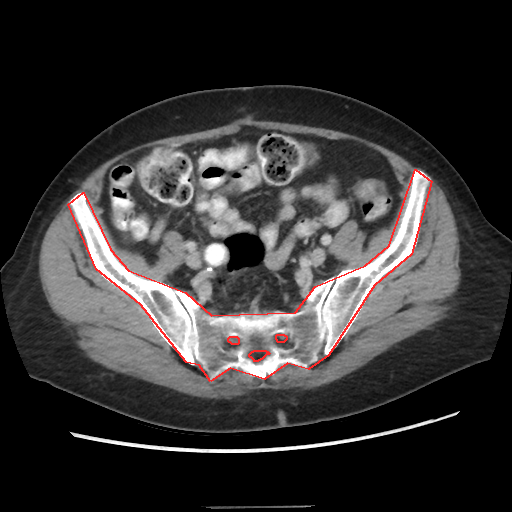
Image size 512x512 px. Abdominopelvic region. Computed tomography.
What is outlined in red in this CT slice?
red: bones.
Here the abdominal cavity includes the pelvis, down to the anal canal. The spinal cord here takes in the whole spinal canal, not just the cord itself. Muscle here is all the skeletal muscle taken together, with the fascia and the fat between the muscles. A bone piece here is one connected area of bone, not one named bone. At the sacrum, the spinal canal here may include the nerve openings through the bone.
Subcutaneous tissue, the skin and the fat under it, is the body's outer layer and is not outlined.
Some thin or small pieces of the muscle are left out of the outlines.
{"bones":[{"outer":[[415,169],[431,181],[411,254],[374,285],[328,355],[308,369],[287,363],[264,379],[230,368],[210,381],[199,365],[186,362],[140,304],[96,269],[68,204],[83,192],[110,249],[128,270],[185,292],[211,315],[295,312],[315,286],[365,265],[389,245]],"holes":[[[254,350],[265,350],[266,351],[267,351],[269,353],[268,353],[267,354],[266,354],[261,359],[260,359],[259,360],[258,360],[257,361],[254,361],[254,360],[251,357],[250,357],[249,356],[249,354],[252,351],[253,351]],[[230,336],[236,336],[238,338],[238,343],[237,344],[232,344],[230,342],[229,342],[228,341],[228,338]],[[277,334],[283,334],[284,335],[285,335],[286,336],[286,339],[283,342],[278,342],[277,341],[277,340],[276,339],[276,335]]]}],"torso":[[[266,84],[317,87],[371,104],[420,133],[457,170],[484,216],[511,239],[507,303],[490,358],[361,413],[308,425],[237,433],[183,431],[154,425],[32,378],[12,335],[4,303],[0,268],[14,251],[35,205],[56,174],[90,139],[135,110],[197,90]]],"muscle":[[[241,118],[352,134],[422,169],[411,172],[388,245],[365,264],[337,272],[340,262],[329,248],[338,230],[354,220],[365,233],[365,247],[391,223],[400,204],[403,186],[380,151],[349,138],[249,124],[217,138],[137,150],[107,168],[98,204],[116,243],[150,264],[166,232],[183,236],[185,256],[168,277],[172,286],[128,269],[111,249],[86,194],[75,193],[67,204],[93,266],[139,304],[186,363],[199,366],[210,382],[230,369],[264,380],[287,364],[308,370],[328,356],[375,285],[414,251],[429,175],[444,191],[460,243],[460,285],[448,316],[315,389],[259,388],[227,398],[193,396],[115,372],[79,348],[49,306],[38,273],[41,242],[60,205],[93,170],[128,149]]],"spinal_cord":[[[254,350],[265,350],[266,351],[267,351],[269,353],[268,353],[267,354],[266,354],[261,359],[260,359],[259,360],[258,360],[257,361],[254,361],[254,360],[251,357],[250,357],[249,356],[249,354],[252,351],[253,351]],[[277,334],[283,334],[284,335],[285,335],[286,336],[286,339],[283,342],[278,342],[277,341],[277,340],[276,339],[276,335]],[[230,336],[236,336],[238,338],[238,343],[237,344],[232,344],[230,342],[229,342],[228,341],[228,338]]],"abdominal_cavity":[[[244,125],[359,142],[387,158],[402,186],[392,220],[365,246],[354,219],[337,230],[328,248],[337,273],[315,285],[295,311],[207,312],[169,279],[184,263],[184,236],[166,231],[150,263],[117,243],[99,204],[106,171],[119,160],[145,148],[235,134]]]}